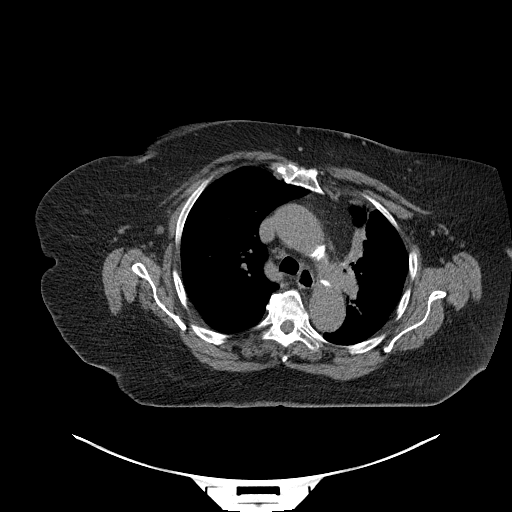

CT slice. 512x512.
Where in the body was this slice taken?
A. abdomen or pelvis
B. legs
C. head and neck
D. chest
D. chest
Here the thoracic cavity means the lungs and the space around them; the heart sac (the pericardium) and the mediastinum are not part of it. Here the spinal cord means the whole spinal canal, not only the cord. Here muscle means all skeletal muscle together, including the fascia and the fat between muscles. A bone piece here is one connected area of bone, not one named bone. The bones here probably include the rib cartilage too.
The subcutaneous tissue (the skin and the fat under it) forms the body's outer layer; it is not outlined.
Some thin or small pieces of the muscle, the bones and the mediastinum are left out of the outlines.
Outlines:
torso: 220,119 329,128 404,150 494,166 508,215 511,273 501,327 483,370 444,401 421,407 158,407 134,401 109,373 83,361 62,338 42,299 41,277 54,260 43,254 34,223 40,199 86,162 139,153 174,125
mediastinum: 325,191 331,199 353,203 349,211 354,235 350,253 337,274 338,284 345,296 343,321 337,329 320,333 311,324 298,290 278,290 278,283 264,274 268,251 260,240 258,230 263,218 281,204 310,192 323,195
spinal cord: 287,320 289,320 290,321 291,321 292,322 292,324 293,325 293,327 292,328 292,329 289,332 284,332 281,329 281,325 285,321 286,321
muscle: 242,150 270,151 301,165 273,161 268,167 242,165 213,180 211,174 183,202 174,232 180,275 173,267 171,276 182,306 188,311 190,303 207,327 194,321 188,325 170,310 160,300 142,262 135,261 130,266 149,284 155,303 182,331 188,327 202,340 221,345 233,334 248,330 262,341 272,340 285,349 299,341 313,352 336,348 351,355 365,353 385,339 384,331 375,335 394,313 395,322 404,313 412,291 410,286 404,287 407,277 411,282 416,276 418,251 412,247 408,252 394,216 369,194 359,193 372,207 331,198 321,186 315,167 325,165 363,172 429,211 411,219 423,264 439,267 453,254 468,252 481,270 479,301 470,302 454,314 421,346 393,354 375,370 348,380 282,364 247,372 212,369 201,363 178,334 165,326 135,310 113,315 101,276 107,254 118,247 139,246 159,263 163,259 167,225 167,206 162,202 212,160; inner edge: 434,290 442,290 445,291 446,294 444,297 435,299 431,302 430,310 425,321 422,324 404,333 394,342 393,346 389,352 384,352 383,348 390,342 394,336 403,329 418,322 424,316 427,309 427,301 429,295
thoracic cavity 1: 242,166 264,166 285,183 310,191 281,203 260,221 257,233 267,251 262,271 266,278 277,283 278,289 270,295 261,320 245,331 224,333 208,327 190,302 181,278 180,245 187,217 203,191 212,181
thoracic cavity 2: 354,203 374,208 399,233 408,253 408,269 403,292 394,312 384,325 373,336 367,339 351,344 338,344 327,340 321,334 337,330 344,321 346,296 339,284 338,274 341,266 351,253 353,245 355,225 350,207
bones 1: 289,289 295,289 299,293 312,327 333,344 351,345 383,332 386,333 386,336 375,347 354,354 336,347 320,347 313,351 299,340 285,348 272,339 262,340 257,333 249,330 266,315 266,305 271,295 277,291; inner edge: 287,320 289,320 290,321 291,321 292,322 292,324 293,325 293,327 292,328 292,329 289,332 284,332 281,329 281,325 285,321 286,321
bones 2: 135,262 140,262 145,266 155,285 156,294 159,300 170,311 178,315 188,326 190,322 194,322 216,332 233,335 221,344 214,344 199,337 188,326 185,330 182,330 174,320 156,303 150,284 131,269 131,266
bones 3: 273,162 277,162 282,164 286,164 291,162 297,166 304,166 307,168 311,167 316,168 318,170 317,179 320,186 323,189 324,193 320,194 316,192 313,192 304,187 285,182 281,178 277,177 269,168 269,165
bones 4: 211,175 213,175 212,180 206,186 194,202 186,217 183,226 182,233 181,234 181,240 180,241 179,251 178,252 175,243 175,232 176,231 176,222 180,213 180,211 182,208 182,206 186,199 200,184 202,180
bones 5: 434,290 442,290 445,291 446,294 444,297 435,299 431,302 430,310 425,321 422,324 404,333 394,342 393,346 389,352 384,352 383,348 390,342 394,336 403,329 418,322 424,316 427,309 427,301 429,295
bones 6: 360,192 363,192 369,195 371,197 372,197 374,199 378,201 384,207 386,208 386,209 393,216 393,217 395,219 399,227 399,229 400,230 399,232 377,209 373,207 373,206 365,198 364,198 362,196
bones 7: 173,268 175,268 177,270 178,274 180,276 180,278 181,279 183,287 185,290 187,298 189,301 189,303 188,304 188,310 183,306 177,295 177,293 176,292 176,290 174,286 173,277 172,276 172,270
bones 8: 407,287 410,287 411,288 411,291 410,292 410,296 409,297 409,301 408,302 403,313 401,315 401,316 399,318 399,319 398,319 395,321 394,320 394,317 395,316 395,310 399,303 399,301 400,300 405,289
bones 9: 412,248 415,248 417,251 417,270 416,271 416,273 415,274 415,276 414,277 413,280 412,280 411,281 410,280 410,279 408,276 408,270 409,269 409,257 408,256 408,255 409,254 409,252 410,251 410,250